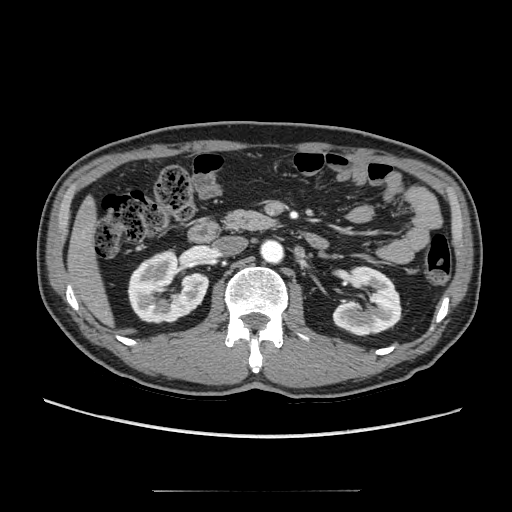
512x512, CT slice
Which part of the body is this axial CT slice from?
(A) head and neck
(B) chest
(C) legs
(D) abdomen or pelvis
(D) abdomen or pelvis
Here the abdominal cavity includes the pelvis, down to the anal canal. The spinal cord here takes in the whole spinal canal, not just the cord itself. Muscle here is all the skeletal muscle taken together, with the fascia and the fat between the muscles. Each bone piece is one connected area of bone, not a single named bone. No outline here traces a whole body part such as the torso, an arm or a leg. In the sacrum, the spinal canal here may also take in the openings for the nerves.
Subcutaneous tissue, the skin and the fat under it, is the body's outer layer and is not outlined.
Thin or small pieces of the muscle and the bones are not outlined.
The spinal cord is outlined by [[252,312],[256,312],[257,313],[260,313],[261,314],[263,314],[265,315],[268,318],[268,320],[267,322],[263,327],[261,328],[259,328],[258,329],[251,329],[248,326],[248,325],[246,324],[243,321],[241,317],[243,315],[245,315],[246,314],[249,314]]. The muscle is outlined by [[194,140],[325,142],[372,148],[417,159],[447,173],[460,188],[467,205],[473,267],[467,291],[436,344],[412,360],[404,360],[358,381],[288,387],[258,373],[263,365],[260,343],[270,341],[280,348],[284,342],[282,314],[288,306],[288,285],[292,282],[301,286],[305,324],[318,334],[373,348],[377,356],[390,353],[396,347],[395,342],[410,342],[421,336],[429,327],[441,298],[434,321],[440,323],[448,313],[450,298],[444,292],[455,272],[454,244],[463,235],[462,211],[451,186],[446,187],[451,222],[449,206],[442,196],[425,181],[397,166],[324,149],[267,146],[186,151],[130,160],[77,193],[68,224],[76,187],[72,182],[62,195],[57,213],[57,225],[66,233],[62,257],[71,281],[65,286],[65,299],[73,310],[79,311],[79,302],[98,324],[128,336],[182,331],[199,324],[207,316],[212,287],[223,277],[223,300],[228,312],[224,343],[232,347],[239,339],[247,342],[247,360],[252,373],[239,382],[221,385],[149,375],[84,337],[48,279],[46,239],[59,189],[76,169],[102,155],[151,144]] with holes at [[116,334],[118,334],[122,336],[126,336],[127,337],[130,337],[134,339],[136,341],[136,344],[134,345],[132,345],[131,346],[129,345],[127,345],[121,342],[118,339],[117,339],[115,336]] and at [[297,332],[299,332],[300,333],[301,333],[302,334],[304,334],[305,335],[307,335],[309,337],[309,338],[310,339],[310,340],[308,342],[307,341],[305,341],[303,339],[302,339],[301,338],[300,338],[296,334],[296,333]]. The abdominal cavity is outlined by [[263,147],[324,150],[397,167],[441,196],[449,210],[455,266],[421,335],[367,348],[318,333],[306,324],[302,286],[296,281],[287,286],[274,269],[253,264],[226,282],[217,279],[206,316],[186,329],[134,336],[88,314],[63,257],[80,191],[134,160]]. The bones appear in 5 outlined pieces: piece 1: [[253,265],[268,267],[277,272],[285,281],[288,292],[287,306],[281,314],[283,342],[280,347],[276,347],[270,340],[259,343],[262,365],[257,373],[249,366],[250,348],[244,338],[237,339],[232,346],[225,343],[229,316],[224,300],[226,283],[238,270]]; inner edge: [[252,312],[256,312],[257,313],[260,313],[261,314],[263,314],[265,315],[268,318],[268,320],[267,322],[263,327],[261,328],[259,328],[258,329],[251,329],[248,326],[248,325],[246,324],[243,321],[241,317],[243,315],[245,315],[246,314],[249,314]]; piece 2: [[447,187],[451,187],[454,191],[457,197],[457,200],[459,203],[459,207],[461,211],[462,235],[461,236],[461,239],[460,240],[456,240],[454,243],[453,243],[453,240],[452,239],[452,227],[451,226],[452,212],[451,211],[451,206],[449,203]]; piece 3: [[72,183],[75,183],[75,187],[74,188],[73,196],[72,197],[72,199],[70,203],[70,206],[69,207],[69,210],[68,211],[67,227],[66,228],[67,229],[67,231],[65,232],[60,228],[58,225],[58,213],[59,212],[60,204],[63,198],[63,195]]; piece 4: [[443,295],[446,295],[448,296],[449,298],[449,304],[448,305],[448,310],[447,311],[447,313],[445,317],[440,322],[438,322],[437,323],[435,321],[435,318],[437,315],[438,310],[440,307],[440,305],[441,304],[441,300],[442,299],[442,297]]; piece 5: [[68,283],[70,283],[72,285],[72,287],[73,288],[73,290],[74,291],[74,293],[75,294],[75,296],[76,297],[76,299],[78,302],[78,305],[79,306],[78,311],[73,309],[69,305],[69,304],[67,302],[67,300],[66,299],[66,286]].